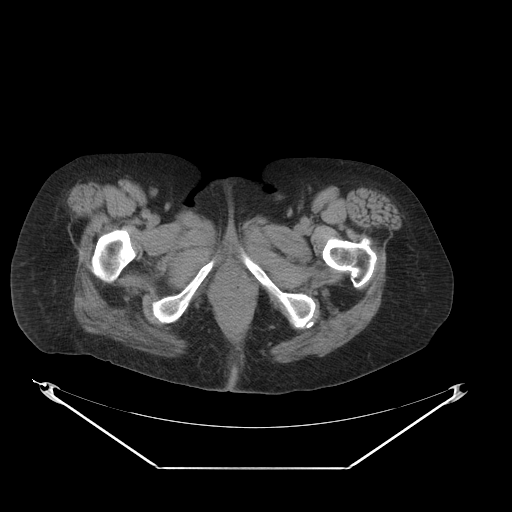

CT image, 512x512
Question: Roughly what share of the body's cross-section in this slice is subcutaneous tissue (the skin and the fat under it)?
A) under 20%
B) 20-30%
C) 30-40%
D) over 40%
Answer: D) over 40%
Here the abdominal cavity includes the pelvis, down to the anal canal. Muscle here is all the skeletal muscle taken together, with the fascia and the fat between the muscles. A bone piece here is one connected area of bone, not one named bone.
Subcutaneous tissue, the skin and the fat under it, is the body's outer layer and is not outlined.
{"torso":[[[134,151],[180,155],[206,180],[256,178],[266,162],[294,156],[358,160],[390,171],[419,199],[451,264],[448,317],[425,347],[404,358],[345,383],[284,394],[204,390],[90,355],[40,351],[17,325],[10,297],[10,262],[27,211],[45,179],[72,159]]],"bones":[[[364,237],[370,240],[370,247],[375,252],[377,258],[372,275],[369,280],[361,287],[356,288],[353,286],[350,280],[349,274],[347,272],[338,271],[326,264],[322,258],[322,250],[326,242],[330,238],[338,238],[349,240],[353,242],[358,242]],[[122,228],[127,231],[130,238],[131,245],[135,250],[136,255],[134,259],[123,268],[117,278],[114,281],[111,283],[107,283],[96,277],[90,270],[89,266],[91,261],[91,257],[94,251],[94,248],[97,239],[102,234],[109,232],[114,229],[121,229]],[[243,252],[254,262],[258,264],[269,278],[282,291],[291,293],[301,292],[310,296],[313,299],[316,307],[312,318],[314,321],[312,326],[308,328],[296,328],[294,327],[288,319],[288,314],[283,304],[275,296],[269,293],[244,265],[241,260],[241,254]],[[212,259],[214,259],[215,260],[214,265],[194,292],[188,304],[188,306],[180,317],[176,321],[171,323],[161,323],[153,315],[153,313],[152,312],[152,302],[156,301],[162,297],[164,297],[168,295],[174,295],[180,292],[195,276],[199,269]]],"muscle":[{"outer":[[110,174],[125,174],[139,183],[164,219],[189,210],[212,221],[221,234],[233,226],[238,233],[258,215],[286,224],[309,213],[314,194],[328,185],[375,184],[402,219],[386,245],[386,279],[377,312],[363,330],[325,356],[274,363],[268,348],[293,331],[261,291],[238,372],[229,364],[233,347],[204,295],[189,308],[178,331],[191,344],[179,357],[155,355],[84,331],[72,309],[77,251],[67,232],[65,198],[77,178]],"holes":[[[227,265],[234,265],[243,270],[251,277],[255,284],[256,291],[255,299],[251,308],[251,313],[249,316],[247,325],[245,326],[245,328],[239,335],[232,335],[226,329],[220,319],[216,309],[216,306],[212,299],[211,293],[212,278],[216,274],[216,272]],[[364,237],[370,240],[370,247],[375,252],[377,258],[372,275],[369,280],[361,287],[356,288],[353,286],[350,280],[349,274],[347,272],[338,271],[326,264],[322,258],[322,250],[326,242],[330,238],[338,238],[349,240],[353,242],[358,242]],[[122,228],[127,231],[130,238],[131,245],[135,250],[136,255],[134,259],[123,268],[117,278],[114,281],[111,283],[107,283],[96,277],[90,270],[89,266],[91,261],[91,257],[94,251],[94,248],[97,239],[102,234],[109,232],[114,229],[121,229]],[[243,252],[254,262],[258,264],[269,278],[282,291],[291,293],[301,292],[310,296],[313,299],[316,307],[312,318],[314,321],[312,326],[308,328],[296,328],[294,327],[288,319],[288,314],[283,304],[275,296],[269,293],[244,265],[241,260],[241,254]],[[212,259],[214,259],[215,260],[214,265],[194,292],[188,304],[188,306],[180,317],[176,321],[171,323],[161,323],[153,315],[153,313],[152,312],[152,302],[156,301],[162,297],[164,297],[168,295],[174,295],[180,292],[195,276],[199,269]]]}],"abdominal_cavity":[[[227,265],[234,265],[243,270],[251,277],[255,284],[256,291],[255,299],[251,308],[251,313],[249,316],[247,325],[245,326],[245,328],[239,335],[232,335],[226,329],[220,319],[216,309],[216,306],[212,299],[211,293],[212,278],[216,274],[216,272]]]}